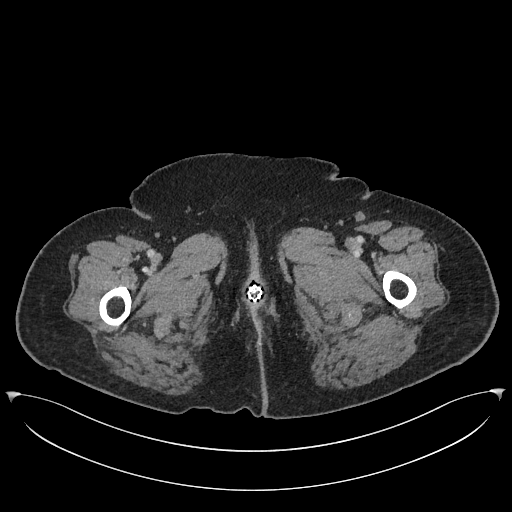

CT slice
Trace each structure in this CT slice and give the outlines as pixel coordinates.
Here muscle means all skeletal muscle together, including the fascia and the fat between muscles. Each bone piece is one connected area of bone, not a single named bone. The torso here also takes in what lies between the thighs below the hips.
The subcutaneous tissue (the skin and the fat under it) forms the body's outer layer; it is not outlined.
The left leg is outlined by 374 189; 383 189; 427 204; 453 218; 471 233; 486 256; 499 298; 499 312; 495 325; 483 346; 461 364; 387 396; 319 415; 288 419; 264 417; 256 320; 256 306; 262 296; 262 286; 251 269; 251 243; 256 235; 266 228; 352 207. The muscle appears in 2 outlined pieces: piece 1: 379 219; 402 219; 417 224; 432 236; 438 250; 439 276; 449 290; 449 303; 436 312; 426 323; 414 355; 392 373; 359 388; 321 389; 315 385; 309 374; 295 306; 277 260; 277 244; 281 235; 294 227; 312 226; 328 231; 346 229, around a hole outlined by 388 270; 397 270; 400 272; 402 272; 406 274; 414 281; 416 285; 417 290; 414 298; 407 305; 404 306; 402 308; 397 308; 394 305; 390 303; 385 298; 384 292; 383 291; 383 288; 382 287; 382 278; 383 277; 383 274; piece 2: 203 231; 220 233; 226 238; 230 248; 227 272; 214 305; 202 353; 201 384; 193 392; 184 395; 168 395; 111 373; 98 358; 86 329; 63 312; 62 305; 70 292; 67 267; 70 253; 83 240; 107 232; 124 233; 169 243; 181 241; inner edge: 120 285; 125 286; 128 289; 132 299; 132 302; 131 303; 131 310; 129 315; 126 318; 126 319; 117 327; 116 326; 110 325; 106 323; 101 318; 99 314; 99 309; 98 308; 98 306; 99 305; 99 300; 105 292; 114 287; 116 287. The torso appears in 2 outlined pieces: piece 1: 221 152; 275 157; 309 156; 327 160; 338 166; 339 176; 353 176; 365 181; 370 192; 361 201; 352 206; 272 225; 260 230; 254 237; 221 229; 197 229; 171 224; 144 215; 136 210; 129 201; 132 190; 149 173; 166 164; 188 156; piece 2: 254 278; 255 278; 255 279; 259 283; 259 284; 261 286; 261 296; 260 297; 260 298; 259 299; 259 300; 258 301; 258 302; 256 305; 255 304; 252 304; 249 301; 248 301; 246 298; 246 290; 247 289; 247 286; 254 279. The bones appear in 2 outlined pieces: piece 1: 120 285; 125 286; 128 289; 132 299; 132 302; 131 303; 131 310; 129 315; 126 318; 126 319; 117 327; 116 326; 110 325; 106 323; 101 318; 99 314; 99 309; 98 308; 98 306; 99 305; 99 300; 105 292; 114 287; 116 287; piece 2: 388 270; 397 270; 400 272; 402 272; 406 274; 414 281; 416 285; 417 290; 414 298; 407 305; 404 306; 402 308; 397 308; 394 305; 390 303; 385 298; 384 292; 383 291; 383 288; 382 287; 382 278; 383 277; 383 274. The right leg is outlined by 130 205; 144 216; 171 225; 221 230; 253 238; 249 256; 254 277; 246 286; 245 298; 255 305; 263 416; 256 417; 245 408; 231 414; 206 408; 172 414; 148 408; 47 369; 20 345; 15 328; 16 307; 26 273; 42 246; 86 213.